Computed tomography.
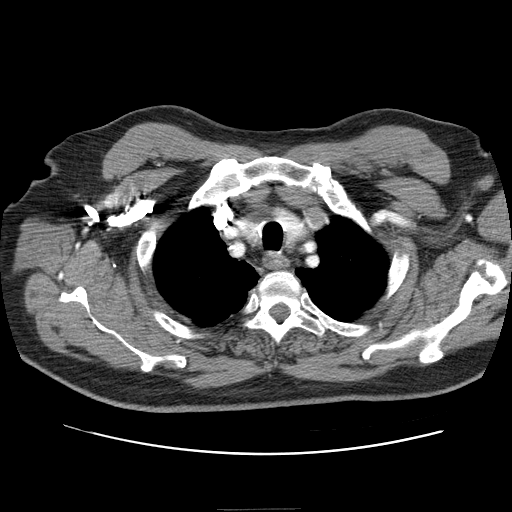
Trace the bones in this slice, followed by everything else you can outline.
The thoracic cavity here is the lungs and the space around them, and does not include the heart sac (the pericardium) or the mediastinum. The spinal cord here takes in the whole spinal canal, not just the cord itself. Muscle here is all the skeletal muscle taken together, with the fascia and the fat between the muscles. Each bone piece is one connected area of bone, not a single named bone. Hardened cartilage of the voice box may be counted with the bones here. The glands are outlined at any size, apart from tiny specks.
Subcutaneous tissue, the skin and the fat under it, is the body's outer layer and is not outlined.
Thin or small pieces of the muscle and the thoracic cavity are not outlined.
bones 1: (266, 155) (281, 156) (306, 165) (318, 162) (329, 166) (332, 176) (370, 221) (373, 236) (349, 218) (334, 214) (315, 193) (279, 181) (252, 186) (242, 194) (228, 197) (217, 206) (200, 206) (187, 211) (192, 194) (207, 178) (213, 165) (221, 159) (235, 158) (244, 163)
bones 2: (279, 270) (293, 273) (311, 300) (327, 315) (342, 322) (368, 324) (371, 327) (370, 330) (355, 337) (343, 336) (327, 329) (322, 336) (318, 336) (303, 328) (293, 327) (277, 345) (263, 329) (243, 327) (241, 325) (242, 316) (239, 312) (247, 302) (249, 291) (266, 273); inner edge: (279, 303) (282, 303) (283, 304) (284, 304) (288, 308) (288, 309) (289, 310) (289, 313) (288, 314) (288, 315) (281, 322) (278, 322) (270, 314) (270, 313) (269, 312) (269, 311) (270, 310) (270, 309) (274, 305) (275, 305) (276, 304) (278, 304)
bones 3: (482, 258) (498, 264) (508, 283) (497, 293) (479, 294) (473, 300) (469, 314) (441, 340) (443, 357) (427, 364) (419, 362) (418, 353) (425, 343) (422, 339) (403, 348) (376, 350) (368, 360) (362, 357) (362, 351) (373, 343) (395, 340) (447, 316) (457, 306) (474, 264)
bones 4: (77, 286) (82, 286) (85, 289) (90, 312) (102, 325) (117, 332) (133, 347) (151, 355) (184, 355) (186, 358) (185, 366) (177, 368) (171, 361) (166, 360) (159, 362) (149, 372) (142, 371) (140, 357) (115, 336) (99, 329) (81, 303) (59, 300) (62, 290) (69, 293)
bones 5: (154, 222) (156, 222) (158, 225) (156, 228) (156, 235) (158, 238) (156, 242) (155, 250) (152, 257) (151, 273) (148, 272) (144, 273) (141, 270) (138, 264) (138, 261) (136, 256) (136, 252) (135, 251) (135, 246) (137, 240) (141, 233) (144, 230) (147, 229)
bones 6: (396, 250) (397, 250) (400, 254) (404, 252) (408, 253) (409, 255) (409, 267) (405, 275) (405, 277) (395, 292) (393, 293) (388, 299) (386, 300) (382, 300) (381, 298) (385, 292) (385, 289) (387, 284) (387, 274) (390, 265) (390, 260) (391, 257) (393, 255) (393, 253)
bones 7: (152, 309) (157, 309) (165, 313) (173, 319) (177, 320) (181, 323) (188, 325) (194, 331) (196, 332) (203, 332) (204, 333) (207, 333) (208, 335) (202, 338) (196, 338) (195, 339) (178, 338) (160, 326) (160, 325) (154, 319) (154, 317) (151, 312)
mediastinum: (267, 182) (294, 187) (302, 194) (325, 203) (331, 212) (328, 223) (316, 233) (319, 258) (317, 266) (297, 266) (293, 272) (286, 269) (273, 270) (261, 277) (250, 263) (230, 256) (213, 222) (210, 207) (217, 207) (228, 198) (242, 195) (252, 187) (259, 187) with a hole at (276, 207) (283, 208) (295, 214) (303, 222) (303, 224) (305, 226) (305, 236) (304, 238) (301, 241) (296, 243) (293, 247) (291, 248) (290, 247) (286, 247) (286, 245) (285, 244) (285, 233) (283, 231) (282, 226) (281, 224) (278, 222) (273, 216) (272, 216) (272, 210)
torso: (156, 104) (181, 105) (256, 130) (319, 127) (390, 107) (476, 133) (494, 162) (509, 215) (494, 239) (494, 259) (509, 286) (507, 307) (482, 375) (425, 398) (148, 413) (96, 401) (25, 363) (8, 321) (0, 273) (6, 206) (33, 179) (49, 173) (43, 158) (65, 137)
thoracic cavity 1: (200, 207) (209, 207) (212, 222) (218, 231) (219, 237) (225, 244) (229, 256) (250, 264) (260, 277) (257, 283) (248, 291) (246, 302) (238, 313) (232, 314) (229, 318) (213, 327) (198, 327) (176, 313) (160, 295) (152, 274) (153, 257) (158, 239) (182, 214)
thoracic cavity 2: (332, 213) (334, 215) (349, 219) (368, 235) (372, 236) (383, 247) (390, 259) (383, 294) (375, 304) (356, 322) (342, 321) (323, 311) (312, 300) (306, 288) (302, 285) (299, 278) (294, 273) (297, 267) (315, 268) (319, 265) (320, 258) (318, 253) (317, 233) (329, 223)
left arm: (509, 218) (509, 222) (510, 223) (510, 228) (511, 229) (511, 281) (509, 281) (508, 282) (509, 285) (502, 277) (502, 275) (499, 270) (498, 265) (495, 259) (495, 239) (496, 238) (496, 235) (498, 233) (499, 230) (506, 223) (506, 221)
thyroid glands 1: (276, 207) (283, 208) (295, 214) (303, 222) (303, 224) (305, 226) (305, 236) (304, 238) (301, 241) (296, 243) (293, 247) (291, 248) (290, 247) (286, 247) (286, 245) (285, 244) (285, 233) (283, 231) (282, 226) (281, 224) (278, 222) (273, 216) (272, 216) (272, 210)
thyroid glands 2: (237, 221) (251, 221) (252, 222) (256, 222) (259, 224) (259, 228) (258, 229) (258, 232) (257, 233) (257, 236) (256, 237) (256, 239) (255, 240) (255, 244) (254, 245) (249, 245) (249, 242) (243, 236) (243, 235) (242, 234) (242, 233) (241, 232) (241, 231) (237, 226)
spinal cord: (279, 303) (282, 303) (283, 304) (284, 304) (288, 308) (288, 309) (289, 310) (289, 313) (288, 314) (288, 315) (281, 322) (278, 322) (270, 314) (270, 313) (269, 312) (269, 311) (270, 310) (270, 309) (274, 305) (275, 305) (276, 304) (278, 304)
muscle 1: (147, 121) (277, 151) (348, 139) (376, 125) (421, 129) (456, 167) (503, 186) (511, 281) (498, 263) (479, 258) (447, 315) (361, 351) (368, 361) (422, 340) (417, 360) (427, 365) (357, 382) (273, 371) (195, 389) (146, 373) (166, 361) (182, 369) (186, 356) (130, 344) (94, 316) (82, 285) (62, 289) (58, 300) (81, 304) (99, 330) (139, 357) (143, 372) (55, 352) (37, 337) (11, 277) (19, 226) (30, 216) (81, 208) (101, 178) (104, 154), around holes outlined by (266, 155) (329, 166) (389, 258) (396, 250) (408, 253) (399, 287) (357, 320) (371, 327) (365, 334) (327, 329) (318, 336) (293, 327) (277, 345) (263, 329) (243, 327) (239, 313) (198, 327) (141, 270) (135, 251) (141, 233) (156, 222) (159, 239) (187, 211) (214, 164) and by (152, 309) (157, 309) (181, 323) (182, 321) (184, 321) (184, 322) (185, 323) (187, 323) (186, 324) (194, 331) (196, 332) (203, 332) (204, 333) (207, 333) (208, 335) (202, 338) (196, 338) (195, 339) (178, 338) (160, 326) (160, 325) (154, 319) (154, 317) (151, 312)
muscle 2: (507, 284) (509, 284) (508, 289) (509, 295) (507, 300) (507, 307) (504, 315) (504, 321) (499, 331) (499, 335) (491, 340) (482, 341) (445, 355) (445, 353) (441, 348) (442, 340) (450, 330) (463, 321) (470, 314) (474, 300) (479, 295) (497, 294)
muscle 3: (295, 187) (299, 187) (300, 188) (301, 188) (306, 193) (308, 193) (309, 194) (315, 194) (317, 196) (318, 196) (323, 201) (322, 201) (319, 199) (316, 199) (315, 198) (313, 198) (312, 197) (311, 197) (309, 195) (304, 194) (303, 193) (302, 193) (296, 187)